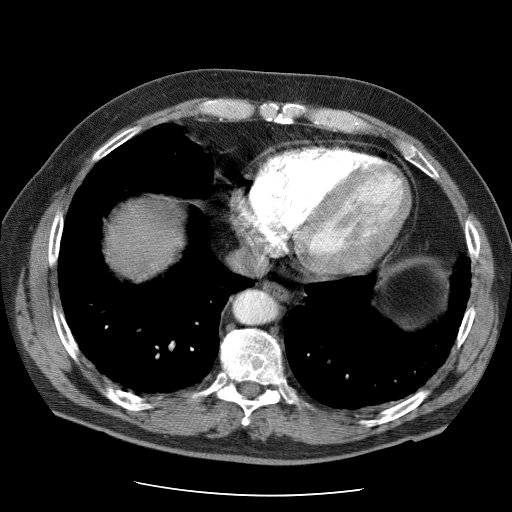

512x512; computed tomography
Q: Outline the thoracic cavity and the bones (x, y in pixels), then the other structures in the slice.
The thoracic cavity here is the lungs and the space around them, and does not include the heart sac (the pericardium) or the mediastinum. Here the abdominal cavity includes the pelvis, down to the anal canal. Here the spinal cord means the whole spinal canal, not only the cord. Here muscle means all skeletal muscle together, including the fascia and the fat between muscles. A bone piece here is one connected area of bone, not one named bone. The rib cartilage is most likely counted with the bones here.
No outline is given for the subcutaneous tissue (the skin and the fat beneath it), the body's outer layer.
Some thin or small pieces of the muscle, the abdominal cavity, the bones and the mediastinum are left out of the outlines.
A: The thoracic cavity appears in 2 outlined pieces: piece 1: 170 121; 212 156; 215 190; 206 199; 146 191; 118 201; 101 219; 105 264; 121 282; 163 276; 188 244; 192 205; 215 227; 212 253; 254 282; 220 312; 214 378; 192 391; 142 396; 117 387; 81 352; 57 264; 65 216; 89 171; piece 2: 464 244; 471 275; 466 308; 449 353; 421 388; 377 413; 356 414; 318 403; 290 384; 284 373; 281 348; 284 348; 284 321; 292 308; 304 303; 306 284; 375 272; 369 306; 401 331; 413 333; 434 324; 446 312; 450 276; 464 253. The bones appear in 10 outlined pieces: piece 1: 244 328; 261 329; 276 339; 285 377; 313 409; 304 404; 299 407; 287 404; 282 397; 277 403; 256 408; 244 426; 243 409; 235 402; 218 398; 214 392; 199 401; 188 401; 191 392; 206 387; 221 369; 219 349; 223 338; 233 330, around a hole outlined by 246 381; 251 381; 252 382; 255 382; 259 385; 260 385; 261 387; 261 391; 255 397; 253 397; 252 398; 247 398; 245 397; 242 394; 241 394; 241 393; 239 391; 239 386; 240 384; piece 2: 216 98; 246 99; 256 105; 272 101; 281 106; 292 102; 310 108; 324 106; 340 109; 371 124; 377 134; 333 131; 312 125; 302 118; 293 123; 277 123; 266 121; 257 115; 236 121; 227 117; 212 117; 197 113; 196 107; 201 102; piece 3: 420 389; 429 389; 431 392; 420 404; 403 415; 393 420; 384 423; 381 423; 374 426; 371 426; 370 427; 367 427; 362 424; 358 423; 358 421; 362 419; 370 419; 371 418; 374 418; 377 414; 382 410; 387 409; 400 403; 413 395; piece 4: 107 384; 110 384; 115 388; 119 388; 124 391; 131 391; 136 395; 144 397; 148 402; 152 403; 155 405; 154 407; 150 409; 143 409; 142 410; 130 410; 124 408; 122 406; 111 401; 108 398; 104 396; 99 391; 98 387; 103 387; piece 5: 397 138; 399 139; 402 139; 403 140; 405 140; 408 142; 412 143; 422 153; 426 159; 438 172; 439 174; 439 178; 437 180; 435 180; 431 178; 415 165; 409 161; 406 160; 403 157; 400 152; 398 151; 398 150; 394 146; 395 140; piece 6: 53 303; 54 303; 59 309; 62 310; 65 321; 78 346; 78 348; 80 351; 80 353; 78 355; 79 358; 79 362; 78 363; 77 363; 70 356; 60 339; 60 337; 58 334; 54 322; 53 314; 52 313; 52 304; piece 7: 58 207; 60 207; 63 212; 63 216; 64 217; 64 220; 63 221; 63 228; 62 229; 61 237; 59 242; 59 251; 57 257; 57 263; 55 267; 50 267; 48 262; 48 245; 49 244; 49 236; 50 235; 50 230; 55 215; 55 212; piece 8: 135 125; 140 125; 142 127; 142 129; 139 133; 134 135; 129 139; 126 140; 124 142; 114 148; 106 155; 102 157; 96 162; 92 162; 91 161; 91 158; 93 154; 99 148; 100 148; 112 138; 113 138; 127 128; 134 126; piece 9: 467 217; 469 217; 473 222; 473 224; 478 232; 478 234; 479 235; 479 240; 480 241; 480 249; 479 250; 478 259; 472 267; 471 266; 471 261; 467 252; 467 248; 465 243; 465 237; 464 236; 464 224; 465 223; 465 220; piece 10: 471 305; 472 305; 475 309; 475 315; 474 316; 471 327; 465 339; 461 344; 460 347; 459 348; 456 348; 456 347; 454 346; 454 345; 456 341; 456 337; 459 330; 459 327; 461 324; 461 322; 463 319; 464 313; 467 307. The abdominal cavity appears in 2 outlined pieces: piece 1: 146 192; 173 196; 183 200; 206 200; 212 196; 213 211; 211 219; 213 225; 209 216; 195 205; 189 205; 185 225; 187 244; 179 261; 163 275; 136 284; 126 280; 121 281; 110 271; 102 253; 101 228; 102 219; 108 215; 118 202; piece 2: 411 256; 431 258; 448 265; 455 262; 455 265; 449 276; 450 292; 447 308; 443 315; 437 321; 423 329; 406 332; 384 318; 370 306; 370 298; 372 295; 372 289; 376 283; 376 271; 378 271; 378 268; 388 262; 393 261; 398 263. The pericardium is outlined by 294 139; 347 140; 371 144; 386 149; 409 168; 419 185; 419 212; 415 229; 389 261; 364 273; 344 275; 327 281; 303 281; 285 259; 273 258; 261 249; 240 241; 230 230; 224 219; 228 210; 226 199; 245 166; 276 144. The spinal cord is outlined by 246 381; 251 381; 252 382; 255 382; 259 385; 260 385; 261 387; 261 391; 255 397; 253 397; 252 398; 247 398; 245 397; 242 394; 241 394; 241 393; 239 391; 239 386; 240 384. The torso is outlined by 199 68; 324 74; 385 87; 411 100; 433 117; 487 184; 511 239; 505 313; 481 377; 438 434; 341 460; 292 466; 255 465; 188 457; 122 441; 60 418; 44 400; 17 349; 6 313; 0 273; 4 215; 52 151; 91 112; 144 82. The muscle is outlined by 197 97; 215 98; 195 107; 197 114; 208 116; 164 121; 143 131; 135 124; 99 147; 90 158; 95 163; 75 190; 65 215; 60 206; 54 212; 47 262; 50 268; 56 267; 61 308; 51 304; 52 318; 69 356; 78 364; 81 353; 83 360; 116 386; 107 383; 98 386; 98 391; 130 411; 155 407; 143 395; 190 391; 187 401; 199 402; 214 393; 242 409; 244 427; 256 409; 282 398; 287 405; 313 410; 299 393; 329 408; 376 414; 357 421; 367 428; 403 416; 430 395; 432 391; 422 387; 452 347; 461 347; 476 315; 475 307; 467 304; 471 267; 480 255; 480 235; 469 216; 462 229; 452 203; 436 181; 439 172; 412 142; 397 137; 392 144; 376 135; 371 123; 341 109; 349 109; 417 138; 447 171; 483 226; 494 259; 498 323; 484 366; 465 394; 362 439; 310 444; 284 435; 263 442; 252 439; 242 428; 215 438; 152 432; 78 405; 51 384; 23 348; 14 318; 18 279; 28 263; 40 217; 53 193; 114 133; 146 114. The mediastinum is outlined by 200 116; 380 136; 443 190; 463 253; 451 264; 390 261; 416 229; 421 191; 386 148; 284 139; 244 166; 223 219; 240 242; 317 282; 284 318; 283 348; 257 327; 221 340; 229 297; 255 281; 213 253; 213 156; 173 121.